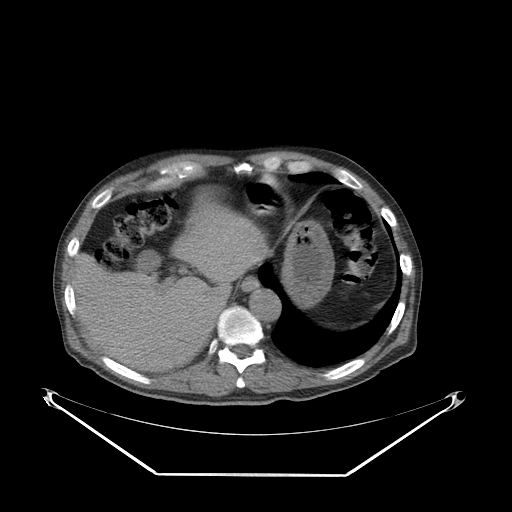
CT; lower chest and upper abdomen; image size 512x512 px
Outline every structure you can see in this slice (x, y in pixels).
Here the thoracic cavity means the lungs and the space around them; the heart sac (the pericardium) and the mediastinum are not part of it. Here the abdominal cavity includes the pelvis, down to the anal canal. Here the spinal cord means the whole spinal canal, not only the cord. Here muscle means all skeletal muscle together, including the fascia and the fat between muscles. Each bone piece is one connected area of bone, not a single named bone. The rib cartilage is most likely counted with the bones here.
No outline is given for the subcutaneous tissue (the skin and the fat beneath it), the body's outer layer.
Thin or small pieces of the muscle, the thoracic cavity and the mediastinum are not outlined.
{"bones":[{"outer":[[234,305],[246,308],[259,321],[265,335],[259,345],[264,349],[266,360],[261,364],[250,364],[244,369],[240,375],[245,384],[241,388],[236,385],[240,375],[236,367],[228,362],[219,363],[215,352],[212,355],[207,353],[212,339],[217,336],[219,315]],"hole":[[237,344],[245,344],[246,345],[247,345],[248,346],[249,346],[249,347],[251,349],[251,351],[250,352],[250,354],[249,355],[248,355],[247,356],[245,356],[244,357],[239,357],[233,351],[232,351],[231,350],[231,348],[233,346],[234,346]]},[[178,161],[193,161],[196,162],[201,165],[203,169],[203,172],[197,175],[192,175],[189,177],[186,177],[182,179],[177,179],[174,181],[173,183],[164,185],[158,189],[150,190],[148,188],[150,182],[156,179],[160,175],[159,174],[159,169],[160,168]],[[102,356],[106,356],[112,359],[114,361],[132,370],[134,370],[136,372],[138,372],[141,374],[143,374],[153,379],[153,380],[150,383],[148,383],[147,384],[146,383],[143,383],[142,382],[134,380],[126,376],[124,376],[108,367],[101,359],[101,357]],[[355,358],[364,358],[365,359],[365,362],[360,367],[354,370],[352,372],[344,376],[339,377],[336,379],[327,379],[323,377],[321,375],[322,373],[332,368],[335,368],[338,366],[340,366],[344,363],[346,363]],[[335,169],[344,169],[345,170],[348,171],[352,175],[353,175],[362,184],[362,185],[363,186],[363,188],[360,190],[356,190],[355,189],[350,188],[349,187],[342,184],[335,177],[334,177],[332,175],[332,172],[333,171],[333,170],[334,170]],[[399,300],[401,300],[405,303],[405,308],[404,309],[404,311],[403,312],[402,317],[399,323],[395,328],[395,329],[390,334],[387,334],[386,333],[386,329],[390,323],[390,321],[392,318],[392,316],[395,311],[395,309],[397,306],[397,304]],[[290,161],[307,161],[308,162],[310,162],[311,163],[311,164],[312,165],[312,168],[310,171],[308,171],[307,172],[304,172],[303,173],[297,173],[296,174],[290,174],[288,172],[288,170],[286,167],[286,164],[288,162],[289,162]],[[67,284],[70,284],[73,287],[73,293],[74,294],[74,298],[75,299],[75,306],[76,307],[75,309],[75,315],[74,317],[73,317],[70,314],[67,308],[67,306],[65,303],[65,299],[64,298],[64,291],[65,290],[65,287]],[[108,188],[112,188],[113,189],[113,190],[112,191],[112,195],[111,196],[110,199],[107,202],[107,203],[106,203],[100,208],[93,208],[91,206],[91,204],[92,203],[92,201],[97,195],[98,195],[101,192],[102,192],[104,190],[105,190]],[[272,156],[278,156],[280,158],[281,158],[281,160],[282,161],[282,162],[281,163],[281,165],[276,171],[275,171],[274,172],[271,172],[270,173],[268,173],[266,171],[265,171],[265,169],[262,165],[262,162],[266,158],[268,158],[269,157],[271,157]],[[401,253],[403,253],[404,254],[406,254],[408,255],[411,258],[411,260],[412,261],[412,267],[411,268],[411,273],[410,275],[408,276],[407,275],[405,275],[403,274],[401,270],[400,265],[399,264],[399,255]],[[382,207],[387,207],[388,208],[389,208],[392,211],[392,212],[394,214],[394,215],[396,218],[396,220],[397,221],[397,225],[395,228],[394,228],[393,229],[389,225],[389,224],[382,217],[382,216],[380,214],[380,209]],[[243,161],[249,163],[253,167],[253,169],[252,170],[251,173],[246,173],[245,172],[241,172],[240,173],[236,173],[233,170],[233,166],[235,164],[237,164],[238,163],[239,163],[240,162],[242,162]],[[74,237],[76,237],[79,240],[79,249],[78,250],[78,251],[77,252],[77,253],[74,256],[70,256],[68,254],[68,253],[67,252],[67,246],[68,245],[68,244],[69,243],[69,242],[70,241],[70,240],[72,238],[73,238]]],"thoracic_cavity":[[[384,220],[391,228],[402,273],[399,299],[385,331],[369,349],[331,368],[303,365],[282,353],[268,340],[281,315],[282,302],[270,287],[260,281],[258,270],[264,265],[269,266],[290,303],[313,327],[332,332],[360,328],[374,320],[396,288],[398,261]],[[311,171],[318,171],[319,172],[323,172],[324,173],[329,174],[335,178],[340,183],[340,184],[335,184],[334,183],[310,183],[309,182],[303,182],[302,181],[294,181],[293,180],[291,180],[289,178],[289,176],[290,175],[303,174],[304,173],[307,173]]],"muscle":[[[270,151],[299,152],[350,170],[365,180],[389,207],[382,206],[379,213],[357,191],[364,188],[363,184],[344,168],[335,168],[330,174],[312,170],[310,161],[290,160],[285,164],[288,173],[278,173],[275,172],[283,162],[278,155],[266,157],[261,162],[264,170],[253,170],[254,167],[244,160],[235,163],[232,171],[223,166],[205,170],[196,161],[178,160],[160,167],[159,175],[149,182],[147,190],[129,193],[109,202],[113,195],[112,187],[97,194],[90,206],[99,209],[83,242],[80,246],[80,240],[74,236],[66,246],[67,254],[70,257],[75,256],[75,259],[72,284],[67,283],[64,287],[64,303],[69,314],[73,318],[77,317],[91,343],[103,354],[100,359],[108,368],[147,385],[154,380],[148,376],[161,376],[183,370],[197,362],[206,352],[208,356],[215,353],[219,364],[228,363],[235,367],[239,374],[235,385],[241,389],[221,396],[147,389],[118,378],[74,351],[65,332],[60,293],[61,263],[65,240],[91,197],[113,179],[145,168],[166,157],[195,153],[230,156],[241,160],[247,155]],[[398,221],[415,266],[415,295],[408,341],[392,349],[362,373],[343,382],[266,393],[245,388],[241,375],[245,369],[253,364],[261,365],[267,360],[265,349],[260,345],[266,338],[282,354],[300,365],[330,368],[320,374],[327,380],[344,377],[366,362],[364,357],[358,357],[369,350],[385,332],[390,335],[396,329],[406,308],[400,294],[403,275],[411,275],[413,261],[408,254],[400,253],[397,249],[392,229],[397,227]]],"abdominal_cavity":[[[214,167],[266,172],[287,197],[290,221],[325,187],[355,190],[383,219],[397,261],[393,293],[373,320],[344,331],[313,326],[265,262],[239,281],[218,315],[216,336],[191,365],[146,375],[104,355],[80,324],[72,285],[76,255],[98,211]]],"spinal_cord":[[[237,344],[245,344],[246,345],[247,345],[248,346],[249,346],[249,347],[251,349],[251,351],[250,352],[250,354],[249,355],[248,355],[247,356],[245,356],[244,357],[239,357],[233,351],[232,351],[231,350],[231,348],[233,346],[234,346]]],"mediastinum":[[[265,263],[267,264],[262,265],[257,270],[257,277],[259,281],[263,285],[268,288],[270,288],[278,296],[281,302],[280,315],[271,331],[269,337],[267,337],[265,334],[262,324],[260,321],[246,307],[239,304],[230,305],[240,281],[247,272],[252,268]],[[267,173],[268,174],[271,173],[289,174],[288,178],[291,181],[294,182],[302,182],[310,184],[334,184],[330,184],[325,186],[317,191],[308,203],[301,210],[298,215],[292,220],[290,220],[290,202],[288,197],[284,191],[277,184],[267,177]]],"torso":[[[268,144],[314,146],[343,154],[365,168],[396,200],[410,225],[423,267],[415,351],[350,388],[309,400],[283,399],[265,405],[188,404],[140,395],[100,377],[68,355],[62,345],[54,305],[52,270],[59,236],[86,193],[122,164],[153,151],[178,147]]]}